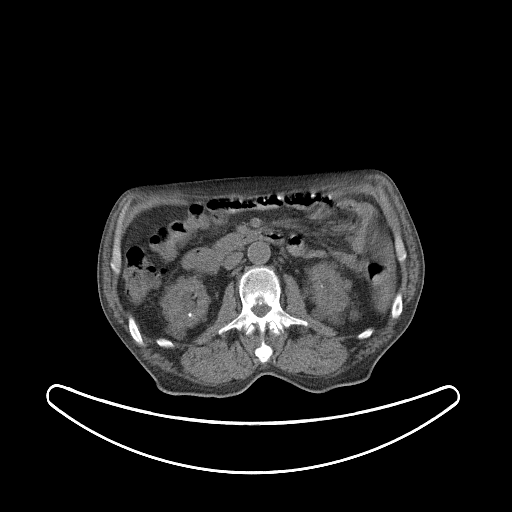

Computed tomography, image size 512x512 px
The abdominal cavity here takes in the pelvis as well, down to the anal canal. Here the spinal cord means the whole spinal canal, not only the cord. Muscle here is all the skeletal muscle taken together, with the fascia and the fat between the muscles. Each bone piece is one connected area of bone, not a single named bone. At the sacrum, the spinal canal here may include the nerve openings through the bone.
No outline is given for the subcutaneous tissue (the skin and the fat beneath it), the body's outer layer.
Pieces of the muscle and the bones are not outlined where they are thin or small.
Outlines:
muscle: 365,174 378,174 384,177 391,185 403,209 405,217 411,230 411,233 415,243 415,251 419,263 419,271 418,272 418,280 415,286 414,294 407,304 402,317 394,326 393,334 387,341 381,346 378,347 373,353 364,357 362,360 345,371 335,376 325,378 324,377 301,375 303,374 302,373 293,374 284,371 274,365 269,365 266,367 257,367 250,375 244,379 240,380 233,379 229,383 217,386 201,385 180,376 174,375 169,372 164,372 159,368 152,365 143,357 139,348 131,341 130,336 114,317 113,312 108,305 103,290 103,273 102,272 103,252 106,237 112,218 121,202 127,195 137,191 146,191 147,192 153,191 159,193 161,192 168,193 174,191 180,191 183,193 196,193 197,194 202,193 218,194 219,193 230,193 231,192 238,192 239,193 274,192 281,190 289,190 294,188 302,188 321,182 331,182 344,185 350,185 359,182; inner edges: 306,190 364,194 378,203 392,233 400,234 407,254 399,263 401,280 397,291 402,296 402,311 398,317 392,318 390,314 384,325 374,328 363,339 357,338 357,333 337,335 332,327 307,312 297,281 286,273 280,305 308,324 291,324 278,335 267,330 264,340 272,354 266,362 260,362 255,354 261,343 257,329 250,334 236,328 218,333 241,311 238,287 232,281 224,289 213,323 190,343 174,342 172,348 166,348 141,331 143,345 133,339 128,325 133,313 120,300 119,275 110,266 118,217 127,203 121,242 134,218 154,207 184,205 192,199 292,194, then 380,189 381,189 382,190 382,191 383,192 383,194 386,197 386,199 387,200 387,204 388,205 387,206 386,209 386,208 384,206 384,202 383,201 383,200 381,198 381,196 380,195 380,193 379,192 379,190
bones 1: 255,266 267,266 275,272 281,285 281,307 308,323 307,326 291,324 278,335 267,330 264,340 271,347 272,354 263,363 255,354 261,343 257,329 250,334 236,328 218,333 240,313 242,305 238,283 242,274, around a hole outlined by 262,304 265,304 266,305 267,305 270,308 269,309 269,310 263,316 258,316 257,315 256,315 253,312 253,311 252,310 252,308 255,305 261,305
bones 2: 127,203 128,204 121,224 121,230 120,231 120,270 119,273 116,274 112,270 110,266 110,261 112,256 112,248 114,242 114,236 115,235 115,231 116,230 118,217 120,214 121,210
bones 3: 130,315 132,315 135,319 136,324 137,325 137,326 138,327 138,329 141,334 141,337 142,338 142,340 143,341 143,345 139,345 133,339 133,338 130,334 130,332 129,331 129,326 128,325 128,318
bones 4: 396,232 398,232 400,234 401,239 403,242 403,244 405,247 405,249 406,250 406,253 407,254 406,258 401,262 400,262 398,260 398,258 397,257 397,254 396,253 396,248 395,247 395,240 394,239 394,234
bones 5: 398,292 399,292 401,294 401,295 402,296 402,311 401,312 400,315 398,317 397,317 396,318 392,318 392,317 391,316 391,309 392,308 392,304 393,303 393,301 394,300 394,298 396,296 396,294
bones 6: 158,338 165,338 166,339 167,339 168,340 169,340 170,341 171,341 174,344 174,346 172,348 166,348 165,347 162,347 161,346 160,346 159,345 158,345 156,343 156,339 157,339
bones 7: 367,328 372,328 373,329 373,331 372,332 372,333 370,335 370,336 369,336 368,337 367,337 366,338 364,338 363,339 359,339 358,338 357,338 357,335 359,333 360,333 361,332 362,332 364,330 365,330
abdominal cavity: 306,190 364,194 380,206 401,272 384,325 337,335 307,312 293,276 283,276 282,288 271,267 255,265 241,274 236,287 232,281 227,284 213,323 190,343 154,339 140,330 118,294 121,242 138,214 192,199
spinal cord: 262,304 265,304 266,305 267,305 270,308 269,309 269,310 263,316 258,316 257,315 256,315 253,312 253,311 252,310 252,308 255,305 261,305
torso: 352,167 377,168 394,181 415,224 425,262 423,288 414,316 376,363 370,377 321,393 305,391 272,375 262,375 241,393 224,398 172,395 159,390 112,329 99,301 96,279 99,242 117,198 128,188 146,183